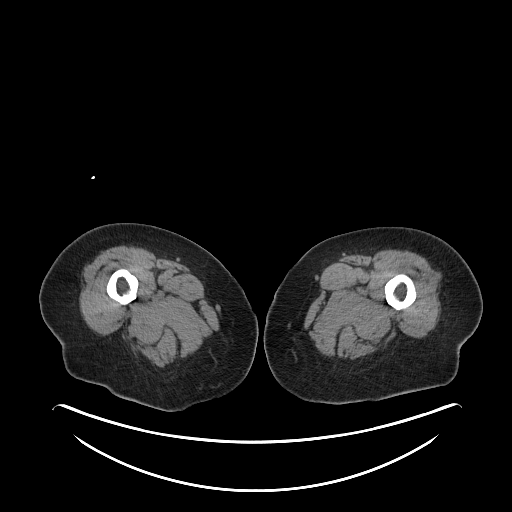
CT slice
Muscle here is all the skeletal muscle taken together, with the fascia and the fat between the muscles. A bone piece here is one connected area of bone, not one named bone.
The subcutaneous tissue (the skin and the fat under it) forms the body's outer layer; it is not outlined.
Outlines (x, y in pixels):
left leg: 376,226 405,226 421,229 442,238 455,248 470,267 481,291 483,311 479,324 461,346 457,373 446,385 403,393 375,401 331,404 300,399 276,381 269,368 264,350 264,325 274,293 291,266 312,246 338,234
bones 1: 399,273 403,273 409,276 412,279 414,283 414,286 415,287 415,290 416,291 416,297 414,301 409,306 403,309 397,310 387,303 385,299 385,294 384,293 384,286 386,282 390,278 391,278 396,274 398,274
bones 2: 120,268 125,268 127,269 131,273 132,273 138,280 138,288 137,289 136,298 129,303 124,305 123,304 120,304 117,301 111,298 108,295 106,290 106,285 110,275 115,270
muscle 1: 383,249 415,251 421,253 439,267 445,280 439,320 434,329 430,331 427,336 407,343 376,367 360,373 346,373 332,366 319,355 303,328 313,279 323,266 333,259 340,257 343,253 349,254 353,252, around a hole outlined by 399,273 403,273 409,276 412,279 414,283 414,286 415,287 415,290 416,291 416,297 414,301 409,306 403,309 397,310 387,303 385,299 385,294 384,293 384,286 386,282 390,278 391,278 396,274 398,274
muscle 2: 117,245 142,247 153,250 167,259 178,259 204,283 209,291 211,304 219,318 220,328 213,335 210,342 202,348 188,365 172,374 160,376 143,368 114,339 101,336 91,330 81,315 77,281 80,266 102,250; inner edge: 120,268 125,268 127,269 131,273 132,273 138,280 138,288 137,289 136,298 129,303 124,305 123,304 120,304 117,301 111,298 108,295 106,290 106,285 110,275 115,270
right leg: 114,222 150,224 178,233 209,251 239,282 257,316 258,336 251,367 243,381 232,391 183,410 165,411 116,396 104,387 76,379 66,371 60,343 45,324 40,312 38,299 40,286 49,267 64,247 85,231